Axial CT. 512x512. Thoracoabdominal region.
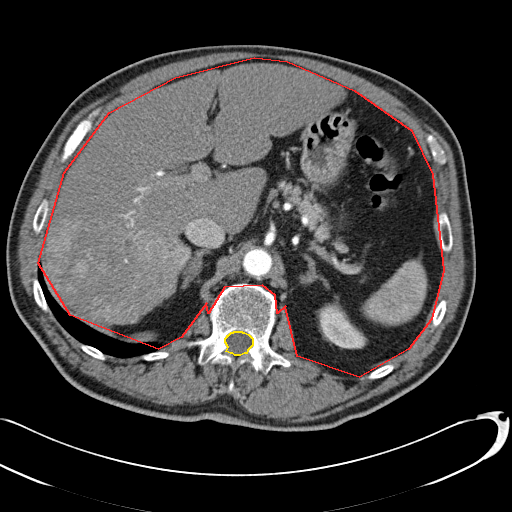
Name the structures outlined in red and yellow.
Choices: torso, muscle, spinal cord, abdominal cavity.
red: abdominal cavity; yellow: spinal cord.
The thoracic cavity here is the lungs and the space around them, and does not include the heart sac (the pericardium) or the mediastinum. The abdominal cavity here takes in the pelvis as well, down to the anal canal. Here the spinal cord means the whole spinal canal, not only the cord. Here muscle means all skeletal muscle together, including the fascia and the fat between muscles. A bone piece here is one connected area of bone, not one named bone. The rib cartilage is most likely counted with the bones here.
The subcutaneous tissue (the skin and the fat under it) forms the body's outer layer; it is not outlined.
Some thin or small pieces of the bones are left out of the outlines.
The abdominal cavity is outlined by [[254,57],[287,61],[354,90],[411,130],[432,174],[443,270],[431,319],[408,349],[359,377],[297,356],[285,306],[277,313],[275,295],[262,285],[224,287],[208,313],[206,303],[181,337],[158,349],[70,315],[38,263],[64,172],[109,112],[175,77]]. The spinal cord is outlined by [[234,331],[241,331],[242,332],[244,332],[248,334],[252,338],[252,345],[247,350],[246,353],[244,353],[240,355],[235,355],[232,353],[230,353],[226,351],[228,347],[225,342],[225,338],[227,336],[227,335],[228,335],[231,332],[233,332]]. The torso is outlined by [[216,44],[304,49],[382,72],[423,96],[449,124],[463,152],[476,277],[462,331],[441,365],[422,383],[387,405],[335,427],[273,431],[210,419],[176,421],[106,403],[61,375],[10,298],[5,251],[13,205],[35,154],[67,106],[96,81],[136,61]]. The muscle is outlined by [[230,51],[244,51],[254,53],[268,53],[278,55],[301,56],[333,65],[362,77],[375,85],[383,88],[395,96],[405,104],[416,116],[437,131],[449,145],[454,159],[457,177],[457,184],[458,185],[458,197],[460,207],[462,242],[464,254],[464,286],[454,317],[447,328],[446,333],[438,350],[431,359],[419,371],[398,385],[394,386],[387,391],[378,395],[375,395],[368,399],[353,404],[325,416],[311,420],[287,421],[281,419],[272,419],[255,416],[238,404],[231,396],[228,395],[220,395],[212,400],[208,400],[189,407],[177,407],[160,403],[155,403],[148,400],[144,400],[134,397],[115,388],[112,388],[96,380],[91,376],[80,374],[72,369],[58,354],[39,322],[33,316],[33,314],[30,311],[26,300],[26,295],[23,291],[21,284],[20,270],[18,265],[18,245],[19,244],[19,232],[24,218],[26,208],[30,198],[37,186],[41,170],[51,151],[51,149],[73,116],[81,109],[95,100],[112,93],[133,78],[155,68],[193,57],[203,56],[211,53],[229,52]] with holes at [[254,57],[287,61],[354,90],[411,130],[426,157],[436,213],[447,214],[453,240],[443,252],[434,305],[445,299],[446,309],[437,326],[430,318],[387,362],[395,366],[380,378],[336,375],[297,356],[283,303],[269,344],[291,365],[273,365],[265,375],[248,362],[234,371],[198,364],[199,348],[185,343],[211,333],[206,303],[181,337],[160,349],[167,357],[101,360],[34,299],[52,204],[97,124],[126,99],[170,79]] and at [[97,108],[100,108],[100,110],[99,111],[99,113],[94,118],[90,129],[81,139],[78,145],[71,154],[71,155],[66,160],[62,162],[61,161],[61,155],[62,154],[63,146],[66,140],[76,127],[78,123],[81,120],[85,118],[90,112]] and at [[428,133],[433,135],[433,136],[436,139],[436,140],[438,142],[440,146],[443,149],[444,153],[445,154],[445,157],[446,158],[446,162],[445,164],[443,165],[440,165],[438,163],[434,161],[432,157],[432,155],[431,154],[429,146],[426,141],[426,135]] and at [[44,198],[46,198],[48,200],[48,203],[49,204],[48,205],[49,206],[47,209],[47,212],[46,213],[45,218],[41,226],[40,232],[37,234],[35,233],[33,230],[33,227],[32,226],[32,224],[33,223],[33,218],[38,206]] and at [[231,379],[232,379],[234,382],[234,387],[237,390],[237,391],[238,392],[238,394],[237,394],[237,392],[236,391],[234,391],[233,392],[231,392],[230,393],[229,392],[226,391],[226,390],[227,389],[227,387],[228,386],[228,384],[229,383],[229,382]]. The thoracic cavity is outlined by [[39,263],[41,267],[43,280],[47,290],[57,304],[70,316],[79,320],[92,329],[116,340],[130,344],[151,343],[157,347],[157,350],[131,357],[117,357],[106,354],[90,344],[79,341],[64,328],[52,312],[46,300],[43,289],[38,278],[37,268]]. The bones appear in 10 outlined pieces: piece 1: [[234,283],[259,285],[274,295],[277,304],[276,321],[269,344],[291,362],[289,367],[276,364],[265,375],[248,362],[238,365],[234,371],[226,364],[208,362],[200,365],[197,362],[199,348],[185,345],[188,341],[203,339],[211,333],[211,304],[221,290]]; inner edge: [[234,331],[241,331],[242,332],[244,332],[248,334],[252,338],[252,345],[247,350],[246,353],[244,353],[240,355],[235,355],[232,353],[230,353],[226,351],[228,347],[225,342],[225,338],[227,336],[227,335],[228,335],[231,332],[233,332]]; piece 2: [[97,108],[100,108],[100,110],[99,111],[99,113],[94,118],[90,129],[81,139],[78,145],[71,154],[71,155],[66,160],[62,162],[61,161],[61,155],[62,154],[63,146],[66,140],[76,127],[78,123],[81,120],[85,118],[90,112]]; piece 3: [[442,211],[444,211],[448,216],[450,222],[450,226],[451,227],[451,232],[452,233],[452,239],[453,240],[452,247],[451,250],[448,252],[443,251],[441,248],[440,242],[438,239],[438,234],[436,231],[436,226],[435,225],[436,224],[436,218],[437,215]]; piece 4: [[428,133],[433,135],[433,136],[436,139],[436,140],[438,142],[440,146],[443,149],[444,153],[445,154],[445,157],[446,158],[446,162],[445,164],[443,165],[440,165],[438,163],[434,161],[432,157],[432,155],[431,154],[429,146],[426,141],[426,135]]; piece 5: [[44,198],[46,198],[48,200],[48,203],[49,204],[48,205],[49,206],[47,209],[47,212],[46,213],[45,218],[41,226],[40,232],[37,234],[35,233],[33,230],[33,227],[32,226],[32,224],[33,223],[33,218],[38,206]]; piece 6: [[34,277],[37,277],[38,279],[38,281],[42,289],[42,291],[43,292],[43,295],[45,298],[45,300],[52,313],[51,314],[48,312],[46,312],[42,310],[37,305],[34,299],[34,295],[33,294],[33,286],[32,285],[32,279]]; piece 7: [[442,299],[445,299],[446,300],[446,309],[445,310],[445,312],[444,313],[443,318],[440,322],[440,323],[437,326],[435,327],[433,327],[432,326],[432,315],[434,312],[434,310],[436,306],[438,304],[440,300]]; piece 8: [[388,363],[392,363],[395,366],[394,367],[393,370],[392,371],[391,371],[388,374],[387,374],[380,378],[377,378],[376,379],[369,379],[366,377],[366,376],[370,372],[371,372],[372,371],[375,370],[377,368],[378,368],[385,364],[387,364]]; piece 9: [[80,343],[83,343],[87,345],[90,345],[96,348],[98,350],[99,350],[101,352],[105,354],[107,356],[106,358],[104,360],[101,360],[100,359],[98,359],[97,358],[95,358],[91,356],[89,354],[86,353],[80,347]]; piece 10: [[158,350],[160,350],[161,351],[167,351],[169,353],[169,355],[165,358],[163,358],[162,359],[157,359],[156,360],[152,360],[151,361],[148,361],[147,360],[144,360],[140,357],[140,356],[143,354],[146,354],[147,353],[153,352],[154,351],[157,351]].